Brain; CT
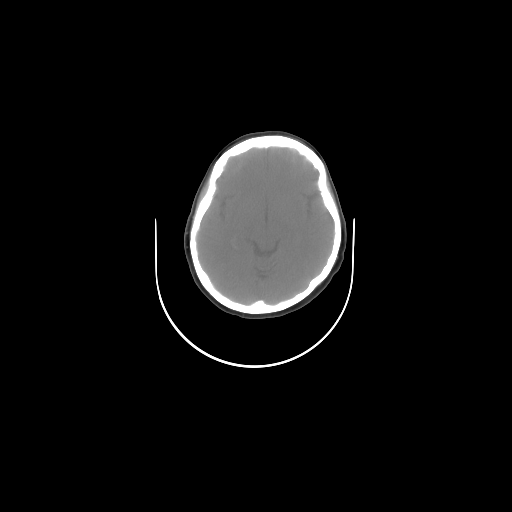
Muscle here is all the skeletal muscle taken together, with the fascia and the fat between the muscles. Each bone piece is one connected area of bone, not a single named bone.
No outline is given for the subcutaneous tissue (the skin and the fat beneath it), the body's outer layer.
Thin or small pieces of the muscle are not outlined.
Outlines (x, y in pixels):
brain: 272,147 285,148 296,152 317,172 315,185 322,204 332,220 331,247 320,270 301,290 276,302 267,302 259,298 244,303 232,299 216,287 201,263 197,237 203,217 217,191 217,180 230,158 254,148 267,149
head: 262,130 285,130 297,134 311,142 322,154 330,170 345,215 347,244 339,271 329,285 309,304 280,317 244,319 221,311 210,303 198,290 186,263 183,250 183,232 194,194 213,157 224,145 236,137 248,132
muscle 1: 209,173 209,175 208,176 208,178 207,179 207,185 206,186 206,189 205,190 203,195 198,201 198,202 195,207 195,209 195,206 196,205 196,203 197,202 197,199 198,198 198,196 201,191 201,189 202,188
muscle 2: 328,176 328,178 329,179 329,181 330,182 330,184 331,185 331,187 332,188 332,190 333,191 333,193 334,194 334,196 335,197 335,199 336,200 336,202 337,203 338,206 338,209 338,207 337,206 337,204 336,203 336,201 329,188 329,185 328,184
bones: 260,135 284,135 294,138 311,148 318,155 325,166 328,188 338,210 341,223 341,242 336,260 328,275 302,300 278,311 246,313 223,305 202,285 192,262 189,234 196,207 207,189 208,179 216,160 234,144 with a hole at 272,147 285,148 296,152 317,172 315,185 322,204 332,220 331,247 320,270 301,290 276,302 267,302 259,298 244,303 232,299 216,287 201,263 197,237 203,217 217,191 217,180 230,158 254,148 267,149